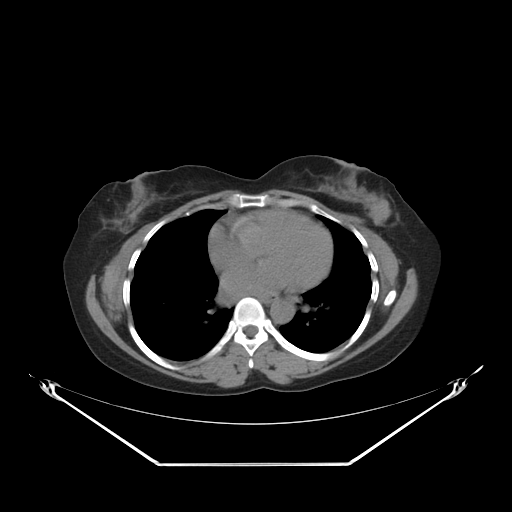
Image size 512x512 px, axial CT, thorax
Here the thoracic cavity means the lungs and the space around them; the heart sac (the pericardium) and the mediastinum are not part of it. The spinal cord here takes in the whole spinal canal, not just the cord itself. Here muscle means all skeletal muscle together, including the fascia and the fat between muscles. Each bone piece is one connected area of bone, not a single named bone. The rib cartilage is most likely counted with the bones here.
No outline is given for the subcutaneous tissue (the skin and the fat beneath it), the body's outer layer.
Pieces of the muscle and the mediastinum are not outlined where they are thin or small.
The mediastinum appears in 4 outlined pieces: piece 1: 284,294 291,294 295,296 298,296 302,294 301,296 302,297 301,308 295,313 293,318 289,322 282,325 278,329 276,328 272,321 266,315 264,308 260,301 254,297 260,298 261,297 276,296 277,295 283,295; piece 2: 219,281 222,288 224,290 227,291 229,293 230,293 234,296 250,296 244,296 240,299 239,299 233,307 227,307 224,304 224,300 222,298 222,296 221,295 218,295 218,288 219,287; piece 3: 227,206 229,207 234,207 235,208 245,208 246,207 258,207 258,208 254,208 253,209 247,209 243,211 233,211 230,213 228,213 226,215 224,215 222,217 218,219 226,213 226,210 223,208 221,208 223,208; piece 4: 290,207 303,207 304,208 305,208 306,209 309,210 312,213 315,214 316,215 316,216 319,219 318,219 317,218 314,217 311,214 308,213 306,211 304,211 301,209 298,209 297,208 293,208 292,207. The pericardium is outlined by 259,208 292,208 301,210 321,221 328,228 333,241 333,259 330,272 325,279 311,289 298,295 291,293 260,297 250,295 234,295 223,288 210,261 208,252 209,232 212,226 218,220 228,214 233,212 243,212. The bones appear in 10 outlined pieces: piece 1: 244,297 259,301 265,315 288,341 314,353 340,349 360,324 366,309 369,308 371,313 359,337 331,359 315,361 300,357 270,337 254,351 253,367 250,368 247,351 232,340 211,357 201,360 224,334 234,307, around a hole outlined by 248,325 252,325 253,326 255,326 257,328 257,332 252,337 248,337 245,334 245,333 243,331 243,328 244,327 245,327 246,326 247,326; piece 2: 233,193 266,193 276,198 295,198 306,200 340,220 341,224 323,215 316,214 303,206 280,207 275,205 266,205 262,207 235,207 227,205 220,208 204,208 197,210 189,215 183,216 186,211 198,205 223,201; piece 3: 129,323 132,323 133,324 140,338 152,351 156,353 159,356 164,358 171,364 180,366 181,368 179,370 170,369 156,363 150,358 149,358 138,347 138,346 135,343 134,340 132,338 128,329 128,324; piece 4: 126,278 128,278 130,280 130,287 129,288 129,306 128,307 126,307 125,306 125,305 124,304 124,302 123,301 123,282 124,281 124,280; piece 5: 164,219 165,219 166,220 166,223 165,224 164,224 159,229 158,229 151,236 151,237 148,240 148,241 146,243 146,244 145,244 143,242 143,238 144,237 144,236 154,225 155,225 161,220 163,220; piece 6: 373,278 377,278 377,279 378,280 378,282 379,283 379,291 378,292 378,295 377,296 377,299 376,300 376,301 375,302 373,302 371,300 370,300 370,296 371,295 371,290 372,289 372,279; piece 7: 137,248 140,248 142,250 141,251 140,254 138,256 138,257 137,258 137,259 135,262 135,264 134,265 134,267 133,268 133,270 129,270 128,269 128,264 130,261 130,259 131,258 131,256 132,255 133,252; piece 8: 392,289 394,289 396,291 396,297 393,301 393,302 390,305 389,305 388,306 386,306 385,305 384,305 384,304 383,303 383,302 384,301 384,299 385,298 386,295 388,293 388,292; piece 9: 368,251 370,251 373,254 373,255 375,257 375,259 376,260 376,262 377,263 377,271 376,272 374,272 371,270 371,267 370,266 370,263 369,262 369,260 368,259 368,258 367,257 367,255 366,254 366,253; piece 10: 351,226 352,226 353,227 354,227 363,236 363,237 366,240 366,241 367,242 367,244 368,245 367,246 367,248 364,248 362,246 362,245 361,244 361,243 360,242 360,241 357,238 357,237 351,231. The torso is outlined by 305,154 345,159 387,177 439,241 441,265 430,309 421,330 402,353 375,371 309,390 260,388 223,396 146,386 108,368 93,355 70,308 62,260 79,213 102,185 143,171 183,164 206,165 256,178 285,159. The spinal cord is outlined by 248,325 252,325 253,326 255,326 257,328 257,332 252,337 248,337 245,334 245,333 243,331 243,328 244,327 245,327 246,326 247,326. The muscle is outlined by 226,189 245,193 233,192 223,200 198,204 167,223 165,218 161,219 143,236 143,249 137,247 130,256 127,269 133,271 133,275 131,280 126,277 122,282 122,301 126,308 130,307 133,319 133,323 127,324 127,329 137,347 156,364 179,371 180,365 166,359 181,362 200,357 204,361 232,341 246,351 249,357 247,366 252,369 255,351 270,338 300,358 323,362 348,349 365,330 372,313 369,307 366,308 368,302 375,303 380,291 378,278 371,278 371,271 378,271 376,257 370,250 365,253 363,249 368,248 367,240 354,226 348,229 340,219 315,203 302,198 259,193 269,189 303,194 335,211 356,216 363,226 389,245 401,274 408,268 415,269 418,289 412,306 386,335 365,350 320,374 288,384 276,383 253,369 243,384 221,387 182,380 135,359 110,340 89,314 85,290 90,276 93,273 101,275 122,244 144,225 193,199, around a hole outlined by 392,289 394,289 396,291 396,297 393,301 393,302 390,305 389,305 388,306 386,306 385,305 384,305 384,304 383,303 383,302 384,301 384,299 385,298 386,295 388,293 388,292. The thoracic cavity appears in 2 outlined pieces: piece 1: 204,209 225,210 225,213 213,223 208,232 207,252 218,280 217,295 221,296 223,304 227,308 233,308 233,311 223,334 204,354 189,360 172,360 152,350 139,335 130,306 131,281 139,256 158,230 178,218; piece 2: 317,215 343,226 356,237 368,260 371,279 369,300 359,324 347,340 333,349 324,352 314,352 301,348 288,340 279,330 282,326 289,323 302,308 303,293 319,285 328,277 332,269 334,259 333,237 329,228.